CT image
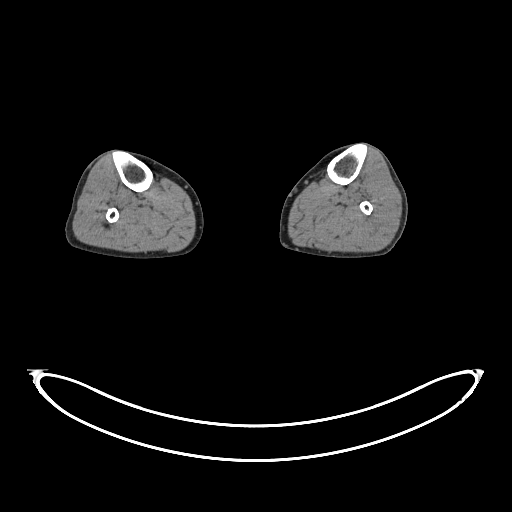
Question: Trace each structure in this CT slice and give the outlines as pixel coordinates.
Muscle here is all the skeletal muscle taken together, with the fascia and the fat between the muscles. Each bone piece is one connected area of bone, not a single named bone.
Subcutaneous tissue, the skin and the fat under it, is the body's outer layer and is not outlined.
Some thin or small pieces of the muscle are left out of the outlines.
Answer: Outlines:
right leg: 114,148 120,150 138,152 153,158 181,175 195,190 202,207 204,225 203,232 198,244 190,252 173,257 134,259 113,257 84,251 72,247 67,242 64,227 71,207 72,197 77,182 83,170 93,158 106,150
bones 1: 358,142 364,142 367,145 367,152 366,153 363,164 360,169 359,173 352,181 346,185 341,185 340,184 333,182 329,178 327,174 327,170 326,169 326,167 327,166 328,162 334,156 352,144 354,143 357,143
bones 2: 118,149 129,152 138,159 143,161 151,169 153,173 153,179 149,187 146,190 144,190 141,192 136,192 126,186 122,182 117,172 117,170 115,167 115,165 113,161 113,158 112,157 112,151 113,150 117,150
bones 3: 110,207 115,207 117,209 117,210 118,211 118,218 117,219 117,220 114,222 109,222 107,220 107,219 105,216 105,215 106,214 106,212 107,211 107,210 108,209 108,208 109,208
bones 4: 364,200 367,200 368,201 369,201 372,204 372,205 373,206 372,211 368,215 367,215 366,214 365,214 363,212 362,212 362,211 360,209 360,208 359,207 359,205 360,204 360,203 362,201 363,201
left leg: 358,142 367,142 373,144 383,151 391,162 406,192 408,204 407,221 403,233 394,247 384,255 363,258 324,257 302,253 283,247 279,241 278,236 280,213 284,200 292,187 301,176 326,153 344,144 353,144
muscle 1: 109,153 111,153 119,179 132,191 136,193 146,191 154,179 154,171 178,184 188,194 195,215 196,229 193,239 186,247 175,252 123,252 88,245 75,237 72,229 72,221 77,209 78,198 92,167 101,157; inner edge: 110,207 115,207 117,209 117,210 118,211 118,218 117,219 117,220 114,222 109,222 107,220 107,219 105,216 105,215 106,214 106,212 107,211 107,210 108,209 108,208 109,208
muscle 2: 368,147 373,148 382,156 401,195 401,217 392,240 384,248 372,252 329,252 293,244 287,233 287,224 289,211 295,198 309,182 318,177 319,173 325,167 326,174 333,183 341,186 348,185 360,173 368,152 with a hole at 364,200 367,200 368,201 369,201 372,204 372,205 373,206 372,211 368,215 367,215 366,214 365,214 363,212 362,212 362,211 360,209 360,208 359,207 359,205 360,204 360,203 362,201 363,201